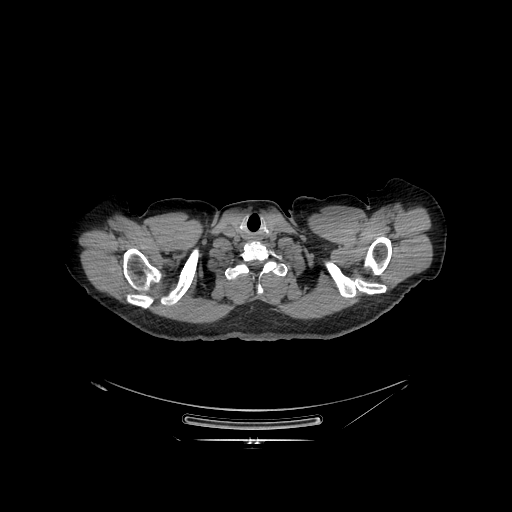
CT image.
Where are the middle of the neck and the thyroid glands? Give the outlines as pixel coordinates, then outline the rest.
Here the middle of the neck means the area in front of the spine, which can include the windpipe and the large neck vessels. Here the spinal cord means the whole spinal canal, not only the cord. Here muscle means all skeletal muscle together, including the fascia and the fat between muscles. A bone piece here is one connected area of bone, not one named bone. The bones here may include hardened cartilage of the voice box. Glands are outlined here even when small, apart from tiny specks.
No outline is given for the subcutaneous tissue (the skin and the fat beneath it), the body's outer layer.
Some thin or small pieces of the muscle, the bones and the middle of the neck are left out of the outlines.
{"middle_of_the_neck":[[[253,211],[265,217],[267,227],[264,218],[261,215],[260,219],[261,228],[267,235],[271,233],[275,226],[277,228],[279,233],[275,239],[244,241],[232,239],[228,236],[227,230],[230,226],[237,233],[243,230],[245,228],[245,218],[242,220],[242,217]]],"thyroid_glands":[[[241,214],[242,214],[241,215],[241,221],[240,222],[240,224],[239,225],[239,229],[240,230],[240,231],[239,232],[237,232],[234,229],[234,228],[232,226],[232,220],[235,217],[236,217],[237,216],[238,216],[239,215],[240,215]],[[267,219],[270,219],[271,220],[272,220],[273,221],[273,222],[274,223],[274,226],[273,227],[273,228],[272,229],[272,230],[270,232],[270,233],[269,234],[267,234],[268,234],[269,233],[269,230],[268,229],[268,225],[267,224]]],"torso":[[[340,193],[366,205],[361,225],[334,249],[337,268],[356,282],[404,296],[375,321],[347,334],[331,339],[174,341],[139,330],[86,292],[156,297],[174,285],[176,254],[160,228],[143,214],[154,201],[182,197],[221,208],[267,199],[287,212],[297,196]]],"left_arm":[[[394,177],[404,179],[427,190],[438,202],[447,223],[446,250],[440,272],[434,279],[423,280],[405,295],[350,278],[338,268],[334,258],[337,245],[345,237],[355,233],[362,225],[366,202],[368,201],[367,193],[372,189],[381,188],[389,179]]],"right_arm":[[[116,193],[122,194],[126,197],[131,213],[138,215],[142,214],[149,218],[159,228],[175,254],[175,281],[166,292],[160,295],[134,296],[94,294],[86,291],[78,284],[70,275],[65,266],[62,255],[61,237],[68,221],[78,212],[92,206],[104,197]]],"muscle":[{"outer":[[397,201],[428,209],[430,266],[388,291],[377,278],[392,257],[389,237],[370,243],[355,277],[324,258],[343,298],[378,295],[319,319],[294,319],[253,301],[212,323],[181,322],[147,309],[162,273],[136,247],[122,253],[123,276],[134,291],[125,296],[127,303],[98,291],[80,261],[79,235],[115,212],[141,224],[153,215],[186,211],[209,223],[226,210],[252,205],[273,207],[304,227],[308,215],[327,205],[369,215]],"holes":[[[253,211],[273,221],[279,233],[275,239],[261,242],[290,266],[283,276],[271,271],[264,273],[259,281],[263,289],[260,294],[256,293],[256,281],[251,275],[242,273],[227,279],[224,274],[225,268],[240,258],[246,242],[232,239],[227,230],[235,217]],[[196,246],[199,248],[200,254],[198,257],[195,273],[193,276],[192,281],[189,287],[184,294],[174,304],[172,304],[171,305],[164,305],[162,304],[160,302],[160,298],[161,296],[165,295],[176,284],[180,271],[182,269],[190,252],[192,249]]]}],"spinal_cord":[[[255,260],[257,260],[258,261],[260,261],[261,262],[263,262],[263,263],[262,264],[262,266],[261,267],[261,268],[260,269],[260,270],[259,270],[258,271],[252,271],[250,269],[250,268],[248,266],[248,263],[249,262],[250,262],[251,261],[254,261]]],"bones":[[[379,236],[389,238],[392,244],[391,257],[388,265],[383,273],[376,278],[387,286],[387,291],[382,294],[373,295],[358,291],[354,297],[343,297],[327,271],[323,262],[324,259],[333,262],[345,275],[355,278],[363,272],[362,264],[367,250],[371,243]],[[132,247],[139,250],[147,258],[150,263],[156,267],[161,273],[160,281],[158,283],[154,283],[151,285],[149,293],[154,297],[154,300],[150,306],[146,309],[129,304],[126,301],[126,296],[135,291],[130,286],[124,276],[123,272],[123,253],[126,250]],{"outer":[[250,241],[261,242],[268,249],[281,255],[282,261],[290,266],[283,276],[271,271],[264,273],[259,281],[263,289],[260,294],[256,293],[256,281],[251,275],[242,273],[234,279],[227,279],[224,274],[225,268],[232,266],[240,258],[239,254],[244,244]],"hole":[[255,260],[257,260],[258,261],[260,261],[261,262],[263,262],[263,263],[262,264],[262,266],[261,267],[261,268],[260,269],[260,270],[259,270],[258,271],[252,271],[250,269],[250,268],[248,266],[248,263],[249,262],[250,262],[251,261],[254,261]]},[[196,246],[199,248],[200,254],[198,257],[195,273],[193,276],[192,281],[189,287],[184,294],[174,304],[172,304],[171,305],[164,305],[162,304],[160,302],[160,298],[161,296],[165,295],[176,284],[180,271],[182,269],[190,252],[192,249]],[[261,216],[263,218],[263,221],[264,222],[264,223],[265,224],[265,225],[266,226],[266,227],[267,228],[267,229],[268,230],[268,233],[267,233],[266,232],[265,232],[263,230],[263,229],[262,228],[262,220],[261,219]]]}